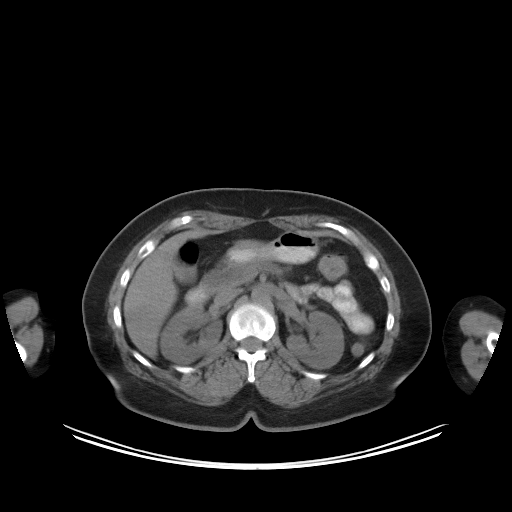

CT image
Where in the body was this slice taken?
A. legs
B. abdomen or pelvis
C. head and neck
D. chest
B. abdomen or pelvis
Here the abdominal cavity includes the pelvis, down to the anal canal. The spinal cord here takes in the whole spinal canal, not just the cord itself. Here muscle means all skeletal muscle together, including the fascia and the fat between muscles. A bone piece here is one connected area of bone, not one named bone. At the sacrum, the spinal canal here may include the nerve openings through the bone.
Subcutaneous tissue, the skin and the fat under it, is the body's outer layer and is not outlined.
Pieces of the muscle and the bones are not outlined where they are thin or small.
Outlines (x, y in pixels):
torso: [[209,187],[292,189],[327,195],[368,213],[397,239],[424,283],[432,331],[424,357],[391,402],[310,429],[270,432],[250,419],[237,430],[220,432],[158,421],[129,410],[115,398],[89,351],[82,322],[81,298],[89,273],[104,247],[135,215],[166,197]]
bones 1: [[249,302],[263,306],[273,315],[276,322],[276,329],[273,335],[265,344],[267,348],[266,357],[263,360],[257,361],[254,366],[255,379],[252,383],[247,380],[247,364],[244,360],[238,358],[235,351],[238,343],[231,335],[228,327],[228,319],[234,308]], around a hole outlined by [[250,336],[252,336],[253,337],[255,337],[256,338],[257,338],[261,341],[261,343],[262,344],[259,348],[258,348],[253,352],[249,352],[246,349],[245,349],[243,347],[242,347],[240,344],[241,341],[243,339],[244,339],[247,337],[249,337]]
bones 2: [[320,222],[331,222],[332,223],[339,224],[351,230],[359,239],[362,245],[367,248],[376,257],[379,263],[379,268],[375,272],[373,271],[366,264],[363,255],[360,251],[360,249],[357,246],[354,245],[347,237],[338,231],[331,228],[319,226],[317,223]]
bones 3: [[151,238],[156,238],[157,239],[158,239],[159,240],[159,241],[155,246],[155,247],[154,248],[154,249],[149,254],[148,254],[145,257],[144,257],[142,259],[140,259],[137,256],[137,253],[138,252],[138,250],[140,248],[140,247],[147,240],[148,240]]
bones 4: [[184,215],[190,215],[191,216],[192,216],[192,220],[191,221],[188,222],[186,224],[185,224],[182,226],[178,226],[177,227],[176,227],[173,229],[169,229],[167,227],[168,224],[174,218],[175,218],[176,217],[180,217],[181,216],[183,216]]
bones 5: [[490,330],[493,330],[494,331],[495,331],[496,332],[498,332],[499,333],[499,335],[498,336],[497,341],[495,343],[495,347],[493,350],[493,352],[492,353],[492,354],[488,350],[488,348],[486,345],[486,337],[487,336],[487,334],[488,333],[488,332]]
bones 6: [[115,305],[118,305],[120,307],[120,312],[121,313],[121,321],[122,322],[122,328],[119,328],[118,327],[117,327],[116,326],[116,325],[115,324],[115,323],[114,322],[114,320],[113,319],[113,308],[114,307],[114,306]]
bones 7: [[133,350],[135,350],[136,351],[137,351],[140,354],[141,354],[141,355],[142,356],[143,356],[146,359],[147,359],[153,365],[153,367],[150,368],[149,367],[144,365],[142,363],[141,363],[138,360],[137,360],[134,357],[134,356],[132,353],[133,352]]
bones 8: [[301,371],[309,371],[310,372],[313,372],[314,373],[326,373],[327,374],[327,375],[324,378],[323,378],[322,379],[313,379],[312,378],[310,378],[309,377],[307,377],[306,376],[305,376],[303,374],[302,374],[301,373]]
bones 9: [[127,268],[129,268],[130,269],[130,270],[131,271],[131,275],[130,276],[130,277],[129,278],[129,279],[128,280],[128,281],[124,288],[123,287],[122,287],[120,285],[120,278],[121,277],[121,275],[122,274],[122,273],[124,271],[124,270]]
bones 10: [[372,351],[373,351],[374,352],[374,357],[372,359],[372,360],[369,363],[368,363],[364,367],[363,367],[362,368],[361,368],[360,369],[357,369],[356,368],[356,367],[358,365],[358,364],[369,353],[370,353]]
bones 11: [[383,275],[384,275],[387,278],[387,279],[388,280],[388,281],[389,282],[389,284],[390,285],[390,291],[388,293],[385,293],[383,291],[383,289],[382,288],[382,287],[381,286],[381,285],[380,284],[380,282],[379,281],[379,278],[381,276],[382,276]]
bones 12: [[175,365],[176,365],[177,366],[189,366],[190,367],[194,367],[196,369],[195,370],[195,371],[194,371],[193,372],[191,372],[190,373],[183,373],[182,372],[180,372],[179,371],[178,371],[177,370],[176,370],[174,368],[174,366]]
bones 13: [[16,342],[18,342],[22,346],[23,346],[26,350],[26,352],[27,353],[27,356],[26,357],[26,359],[24,362],[21,359],[21,358],[20,357],[20,355],[19,354],[19,352],[18,351],[18,349],[15,345],[15,343]]
abdominal cavity: [[260,222],[302,236],[335,237],[359,250],[378,278],[387,305],[382,339],[375,349],[345,372],[307,370],[284,346],[274,315],[251,301],[233,308],[222,339],[193,366],[161,367],[129,344],[121,312],[124,290],[135,268],[160,240],[183,228],[218,234]]
spinal cord: [[250,336],[252,336],[253,337],[255,337],[256,338],[257,338],[261,341],[261,343],[262,344],[259,348],[258,348],[253,352],[249,352],[246,349],[245,349],[243,347],[242,347],[240,344],[241,341],[243,339],[244,339],[247,337],[249,337]]
left arm: [[476,293],[484,294],[492,297],[505,307],[505,312],[503,316],[502,328],[499,331],[499,335],[488,362],[488,365],[483,371],[480,380],[472,391],[467,395],[457,387],[452,380],[446,367],[442,345],[442,330],[447,315],[452,306],[462,297]]
right arm: [[24,285],[32,286],[37,289],[42,309],[45,312],[52,315],[56,319],[57,322],[55,358],[49,369],[36,379],[32,378],[25,367],[24,362],[20,357],[18,349],[15,345],[16,342],[13,340],[10,324],[7,319],[5,309],[4,292],[10,289]]
muscle 1: [[194,209],[256,219],[321,214],[351,223],[382,254],[393,274],[400,299],[399,333],[382,369],[372,380],[294,408],[273,404],[259,393],[253,384],[256,379],[255,366],[266,359],[266,344],[277,327],[285,349],[306,370],[300,373],[313,380],[322,380],[328,374],[364,368],[375,357],[374,350],[382,342],[384,331],[389,332],[395,322],[394,314],[388,311],[385,295],[391,291],[390,282],[384,274],[377,276],[380,268],[377,257],[351,229],[331,221],[316,223],[319,227],[338,232],[351,243],[330,235],[302,235],[260,221],[218,233],[183,227],[161,239],[147,239],[137,250],[136,256],[140,261],[133,271],[127,267],[121,273],[119,285],[124,289],[120,306],[115,304],[112,308],[113,322],[117,328],[123,328],[125,338],[133,349],[133,357],[150,369],[154,365],[164,369],[173,366],[183,374],[195,372],[197,369],[194,366],[218,345],[228,329],[237,343],[234,349],[237,358],[246,364],[246,380],[249,383],[227,402],[206,406],[187,401],[127,371],[104,319],[105,298],[131,249],[164,220],[179,212]] with a hole at [[184,215],[190,215],[191,216],[192,216],[192,220],[191,221],[188,222],[186,224],[185,224],[182,226],[178,226],[177,227],[176,227],[173,229],[169,229],[167,227],[168,224],[174,218],[175,218],[176,217],[180,217],[181,216],[183,216]]
muscle 2: [[473,309],[478,309],[490,313],[502,321],[502,328],[499,332],[490,329],[486,334],[485,345],[487,350],[491,354],[491,357],[488,362],[488,365],[483,371],[481,378],[478,382],[476,382],[470,376],[462,362],[458,340],[458,320],[462,314],[466,311]]
muscle 3: [[29,295],[32,296],[35,299],[39,312],[41,314],[42,327],[43,328],[43,345],[36,362],[32,366],[25,366],[24,363],[27,359],[28,353],[26,348],[23,345],[18,341],[14,341],[13,340],[10,324],[6,315],[5,306],[9,305],[11,303]]